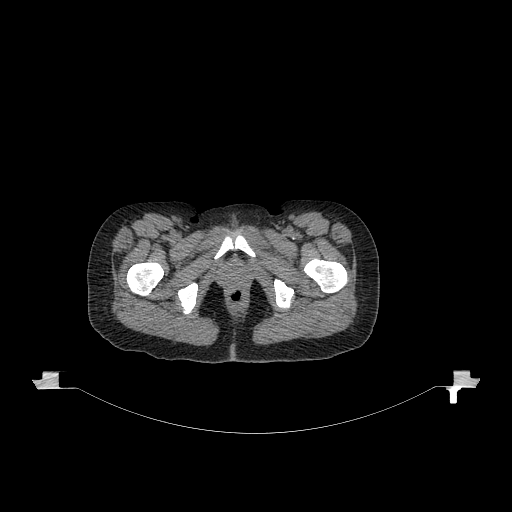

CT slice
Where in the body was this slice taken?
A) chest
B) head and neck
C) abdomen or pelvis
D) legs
Answer: C) abdomen or pelvis
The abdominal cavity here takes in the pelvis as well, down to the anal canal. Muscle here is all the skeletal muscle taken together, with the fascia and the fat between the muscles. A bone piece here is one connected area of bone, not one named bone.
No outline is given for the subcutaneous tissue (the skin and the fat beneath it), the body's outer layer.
Outlines (x, y in pixels):
bones 1: 312,258 319,258 320,259 324,259 325,260 337,261 341,263 346,269 348,274 348,281 347,283 342,288 336,292 334,292 333,293 326,293 325,292 323,292 316,282 310,277 309,277 303,270 303,267 304,265
bones 2: 148,260 159,263 164,270 164,276 155,286 155,287 154,287 152,289 151,292 147,296 141,296 140,295 138,295 137,294 133,293 129,289 127,285 127,283 126,282 126,274 130,266 134,263 144,262
bones 3: 234,232 237,232 244,236 248,242 249,245 254,251 255,253 255,257 251,257 241,250 236,249 235,250 229,250 226,253 215,260 213,257 218,250 224,237 226,235 229,235 231,237 234,238 236,235 236,233
bones 4: 194,281 197,283 197,285 198,286 198,289 197,290 197,296 196,297 196,303 190,313 188,314 184,314 182,311 183,310 183,308 181,306 180,301 177,295 177,291 180,288 184,287 188,285 191,282 193,282
bones 5: 275,278 278,278 282,280 288,285 291,286 294,290 294,295 292,298 292,300 291,301 290,306 288,308 281,308 277,306 275,302 275,291 274,290 274,286 273,285 273,282
muscle: 308,211 319,211 340,221 352,234 357,309 353,323 346,329 320,338 255,344 251,338 252,328 269,316 271,310 265,292 255,279 250,288 247,313 236,323 226,310 222,288 214,281 209,286 200,313 212,318 220,330 215,342 208,346 174,342 135,331 111,312 112,240 127,220 146,212 159,213 175,222 175,227 184,235 235,223 281,232 290,221 with holes at 234,232 243,235 255,253 255,257 245,255 247,258 245,264 248,269 244,283 246,294 244,304 239,313 234,312 226,296 229,284 224,279 223,273 226,254 216,260 213,258 224,237 229,235 234,238 236,235 and at 312,258 319,258 320,259 324,259 325,260 337,261 341,263 346,269 348,274 348,281 347,283 342,288 336,292 334,292 333,293 326,293 325,292 323,292 316,282 310,277 309,277 303,270 303,267 304,265 and at 148,260 159,263 164,270 164,276 155,286 155,287 154,287 152,289 151,292 147,296 141,296 140,295 138,295 137,294 133,293 129,289 127,285 127,283 126,282 126,274 130,266 134,263 144,262 and at 194,281 197,283 197,285 198,286 198,289 197,290 197,296 196,297 196,303 190,313 188,314 184,314 182,311 183,310 183,308 181,306 180,301 177,295 177,291 180,288 184,287 188,285 191,282 193,282 and at 275,278 278,278 282,280 288,285 291,286 294,290 294,295 292,298 292,300 291,301 290,306 288,308 281,308 277,306 275,302 275,291 274,290 274,286 273,285 273,282
torso: 290,199 341,203 354,211 372,234 379,256 379,307 373,330 360,347 319,360 203,363 125,351 91,326 87,314 88,256 97,230 114,210 135,202 177,200 193,205 199,212 234,203 253,203 278,214 279,205
abdominal cavity: 236,250 241,251 245,254 247,258 247,261 245,262 245,264 248,269 248,273 245,278 244,283 244,288 246,292 245,301 239,313 234,312 226,296 226,290 229,282 224,279 223,273 224,258 226,254 229,251